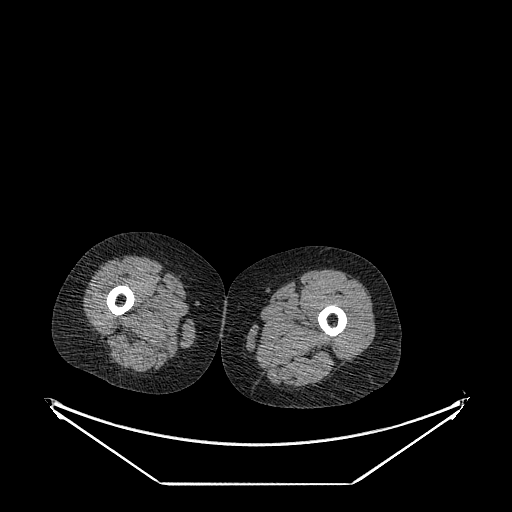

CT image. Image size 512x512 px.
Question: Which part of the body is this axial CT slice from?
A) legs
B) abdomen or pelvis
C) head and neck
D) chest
Answer: A) legs
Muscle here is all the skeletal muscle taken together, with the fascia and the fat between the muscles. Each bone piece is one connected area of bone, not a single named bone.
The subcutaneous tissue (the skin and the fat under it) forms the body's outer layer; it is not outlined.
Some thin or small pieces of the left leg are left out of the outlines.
Outlines (x, y in pixels):
right leg: (129, 231) (157, 232) (185, 243) (199, 253) (217, 271) (223, 282) (225, 296) (222, 329) (219, 343) (212, 361) (197, 381) (176, 392) (148, 394) (114, 386) (92, 374) (68, 364) (59, 355) (52, 341) (51, 318) (53, 306) (59, 289) (72, 267) (94, 244) (114, 234)
muscle 1: (314, 268) (334, 268) (349, 272) (372, 293) (376, 326) (375, 337) (371, 346) (357, 359) (350, 370) (339, 379) (321, 385) (319, 387) (312, 387) (300, 391) (283, 392) (271, 390) (261, 384) (250, 370) (243, 349) (246, 330) (251, 324) (256, 307) (267, 293) (297, 275), around a hole outlined by (327, 305) (331, 305) (332, 306) (338, 306) (340, 307) (345, 312) (346, 316) (347, 317) (347, 323) (344, 329) (341, 332) (340, 332) (335, 336) (330, 336) (328, 334) (325, 333) (320, 327) (318, 323) (318, 321) (317, 320) (317, 316) (318, 315) (319, 311)
muscle 2: (126, 253) (141, 253) (152, 255) (162, 259) (172, 266) (188, 284) (198, 313) (198, 336) (193, 349) (173, 367) (151, 376) (146, 380) (137, 379) (130, 375) (121, 373) (108, 366) (99, 354) (96, 345) (82, 317) (81, 300) (83, 295) (83, 289) (88, 277) (105, 260) with a hole at (119, 284) (122, 284) (125, 286) (128, 286) (133, 291) (134, 293) (134, 297) (135, 299) (134, 300) (134, 303) (130, 308) (130, 309) (129, 309) (127, 311) (126, 311) (124, 313) (120, 315) (115, 315) (110, 311) (110, 310) (108, 308) (106, 304) (106, 295) (113, 287)
bones 1: (327, 305) (331, 305) (332, 306) (338, 306) (340, 307) (345, 312) (346, 316) (347, 317) (347, 323) (344, 329) (341, 332) (340, 332) (335, 336) (330, 336) (328, 334) (325, 333) (320, 327) (318, 323) (318, 321) (317, 320) (317, 316) (318, 315) (319, 311)
bones 2: (119, 284) (122, 284) (125, 286) (128, 286) (133, 291) (134, 293) (134, 297) (135, 299) (134, 300) (134, 303) (130, 308) (130, 309) (129, 309) (127, 311) (126, 311) (124, 313) (120, 315) (115, 315) (110, 311) (110, 310) (108, 308) (106, 304) (106, 295) (113, 287)
left leg: (308, 245) (325, 245) (349, 250) (366, 258) (380, 270) (390, 287) (401, 324) (402, 337) (399, 364) (387, 383) (351, 403) (317, 408) (284, 408) (262, 404) (240, 393) (228, 379) (222, 365) (221, 351) (218, 346) (223, 329) (226, 292) (234, 278) (256, 261) (278, 252)